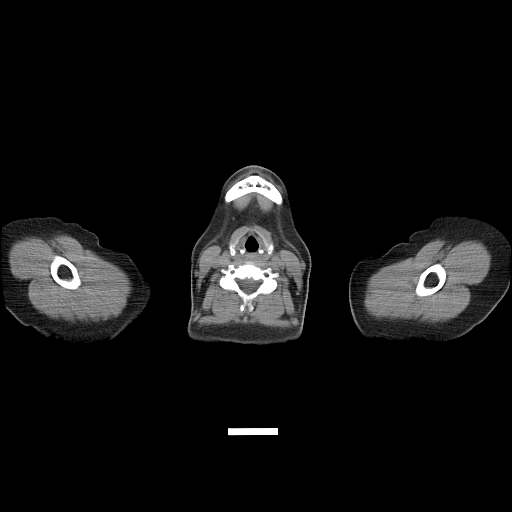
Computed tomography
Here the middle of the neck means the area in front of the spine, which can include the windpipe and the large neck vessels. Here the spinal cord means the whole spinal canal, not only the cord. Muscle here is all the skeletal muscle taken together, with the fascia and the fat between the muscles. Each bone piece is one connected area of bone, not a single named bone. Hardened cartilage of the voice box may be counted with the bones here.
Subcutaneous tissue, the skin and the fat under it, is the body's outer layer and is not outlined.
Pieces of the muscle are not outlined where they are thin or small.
Outlines (x, y in pixels):
middle of the neck: (249, 229) (260, 232) (259, 235) (266, 253) (270, 256) (273, 251) (282, 261) (283, 268) (281, 270) (278, 271) (270, 266) (259, 265) (251, 260) (237, 261) (219, 268) (212, 264) (219, 252) (228, 244) (229, 254) (233, 257) (236, 254) (236, 246) (240, 239) (240, 234)
bones 1: (247, 261) (260, 268) (269, 267) (273, 272) (277, 272) (277, 285) (273, 291) (257, 295) (251, 301) (251, 311) (246, 308) (241, 311) (243, 301) (240, 296) (234, 290) (221, 287) (219, 279) (222, 276) (221, 269) (225, 269) (229, 264) (236, 267); inner edge: (244, 279) (252, 279) (255, 281) (259, 281) (260, 282) (259, 283) (259, 284) (258, 285) (258, 286) (256, 288) (256, 289) (254, 291) (253, 291) (250, 293) (246, 293) (243, 290) (242, 290) (241, 289) (241, 288) (239, 285) (239, 283) (238, 282) (238, 280) (243, 280)
bones 2: (250, 175) (258, 175) (273, 184) (279, 191) (282, 196) (282, 198) (283, 199) (282, 203) (281, 204) (277, 204) (261, 193) (259, 193) (255, 191) (251, 191) (250, 192) (248, 192) (229, 202) (226, 202) (224, 200) (224, 195) (226, 191) (228, 189) (229, 189) (236, 182)
bones 3: (55, 255) (59, 255) (60, 256) (62, 256) (64, 258) (68, 260) (71, 263) (72, 263) (75, 266) (78, 272) (78, 275) (81, 281) (80, 285) (76, 289) (69, 289) (68, 288) (65, 288) (58, 283) (57, 283) (52, 277) (51, 275) (51, 271) (50, 270) (50, 264)
bones 4: (435, 263) (439, 263) (441, 264) (441, 265) (444, 268) (446, 272) (446, 277) (445, 278) (445, 281) (444, 283) (437, 291) (434, 292) (432, 294) (430, 294) (426, 296) (418, 296) (415, 293) (415, 287) (419, 279) (419, 276) (420, 274) (428, 267) (429, 267) (431, 265)
bones 5: (260, 234) (263, 235) (266, 238) (266, 239) (268, 241) (271, 242) (273, 244) (273, 250) (272, 251) (272, 253) (270, 255) (269, 255) (267, 253) (267, 249) (266, 248) (266, 247) (264, 244) (264, 242) (263, 241) (263, 239) (262, 238) (262, 237) (260, 235)
bones 6: (238, 235) (240, 235) (240, 236) (239, 237) (239, 239) (238, 240) (238, 241) (237, 242) (237, 243) (235, 246) (235, 254) (233, 256) (232, 256) (230, 254) (230, 251) (229, 250) (229, 244) (230, 243) (230, 242) (231, 242) (232, 241) (233, 241) (235, 239) (235, 238)
left arm: (442, 215) (466, 215) (479, 218) (503, 232) (510, 245) (509, 286) (506, 293) (483, 321) (453, 340) (440, 343) (425, 340) (390, 343) (364, 337) (353, 321) (348, 301) (348, 282) (354, 265) (364, 257) (380, 256) (395, 244) (407, 242) (413, 232) (426, 228) (434, 218)
muscle 1: (251, 192) (261, 194) (277, 205) (281, 205) (283, 202) (285, 232) (299, 250) (305, 263) (302, 276) (302, 299) (298, 324) (291, 328) (270, 327) (258, 323) (229, 323) (200, 326) (194, 321) (197, 307) (195, 262) (204, 245) (220, 226) (223, 216) (223, 201) (229, 203) with a hole at (249, 229) (257, 230) (273, 244) (273, 251) (282, 261) (283, 268) (277, 272) (275, 289) (257, 295) (251, 301) (253, 307) (251, 311) (246, 308) (241, 311) (243, 301) (240, 296) (234, 290) (224, 289) (219, 284) (221, 269) (227, 267) (217, 268) (212, 262) (230, 242)
muscle 2: (50, 230) (54, 233) (61, 232) (69, 234) (82, 244) (87, 245) (89, 249) (99, 256) (119, 266) (129, 275) (133, 285) (132, 296) (129, 303) (117, 317) (98, 322) (69, 322) (62, 319) (52, 319) (40, 313) (32, 306) (26, 292) (10, 271) (8, 250) (15, 239) with a hole at (55, 255) (59, 255) (60, 256) (62, 256) (64, 258) (68, 260) (71, 263) (72, 263) (75, 266) (78, 272) (78, 275) (81, 281) (80, 285) (76, 289) (69, 289) (68, 288) (65, 288) (58, 283) (57, 283) (52, 277) (51, 275) (51, 271) (50, 270) (50, 264)
muscle 3: (436, 237) (478, 239) (481, 240) (488, 247) (492, 255) (490, 269) (486, 277) (475, 287) (467, 307) (455, 318) (445, 322) (434, 324) (420, 322) (417, 320) (376, 319) (371, 316) (365, 310) (363, 304) (364, 287) (366, 279) (380, 267) (413, 256) (425, 243), around a hole outlined by (435, 263) (439, 263) (441, 264) (441, 265) (444, 268) (446, 272) (446, 277) (445, 278) (445, 281) (444, 283) (437, 291) (434, 292) (432, 294) (430, 294) (426, 296) (418, 296) (415, 293) (415, 287) (419, 279) (419, 276) (420, 274) (428, 267) (429, 267) (431, 265)
muscle 4: (250, 170) (257, 170) (258, 171) (261, 171) (271, 176) (273, 178) (273, 179) (282, 188) (283, 194) (282, 195) (280, 191) (273, 183) (258, 174) (250, 174) (236, 181) (229, 188) (228, 188) (226, 190) (227, 186) (231, 181) (232, 181) (240, 174) (244, 172) (249, 171)
spinal cord: (244, 279) (252, 279) (255, 281) (259, 281) (260, 282) (259, 283) (259, 284) (258, 285) (258, 286) (256, 288) (256, 289) (254, 291) (253, 291) (250, 293) (246, 293) (243, 290) (242, 290) (241, 289) (241, 288) (239, 285) (239, 283) (238, 282) (238, 280) (243, 280)
right arm: (49, 215) (79, 223) (84, 228) (93, 232) (98, 237) (99, 243) (102, 246) (125, 252) (150, 278) (152, 289) (147, 305) (133, 323) (110, 341) (77, 345) (66, 343) (53, 337) (46, 337) (32, 327) (21, 324) (6, 308) (2, 281) (1, 241) (3, 225) (16, 218)
head and neck: (249, 165) (265, 167) (273, 171) (283, 181) (289, 193) (295, 226) (305, 242) (311, 256) (309, 289) (303, 330) (299, 339) (278, 345) (256, 346) (234, 343) (201, 343) (193, 341) (188, 337) (186, 331) (191, 307) (191, 252) (195, 242) (208, 224) (223, 183) (235, 171)